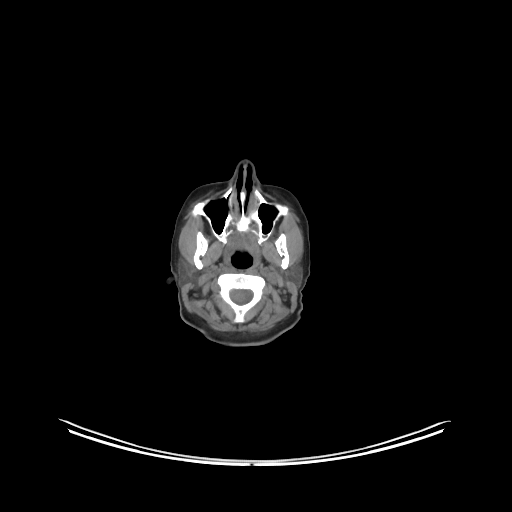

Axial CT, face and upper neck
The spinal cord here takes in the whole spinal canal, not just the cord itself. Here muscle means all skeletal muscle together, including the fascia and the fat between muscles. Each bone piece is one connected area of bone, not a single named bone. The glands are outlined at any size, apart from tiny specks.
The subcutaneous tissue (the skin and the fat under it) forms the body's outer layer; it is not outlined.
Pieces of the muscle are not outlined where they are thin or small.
Outlined structures:
head and neck: 242 158; 254 163; 263 183; 284 187; 299 200; 309 225; 310 274; 302 290; 301 318; 292 328; 265 344; 223 346; 208 340; 181 319; 176 284; 173 281; 166 285; 165 281; 171 273; 170 244; 174 224; 185 198; 199 185; 228 179, around holes outlined by 220 199; 223 199; 225 200; 227 211; 226 212; 226 215; 224 218; 224 221; 223 222; 222 228; 219 232; 217 232; 214 228; 212 219; 206 212; 205 208; 206 206; 207 206; 208 204; 210 203; 210 202; 214 200; 219 200 and by 263 204; 265 204; 268 206; 271 206; 276 210; 276 213; 275 214; 275 215; 273 217; 273 218; 271 221; 271 226; 270 227; 269 230; 266 232; 264 232; 264 231; 263 230; 263 222; 262 221; 262 219; 260 216; 260 207 and by 236 253; 241 253; 242 254; 248 254; 250 256; 250 257; 251 258; 251 263; 249 265; 248 265; 246 267; 239 267; 238 266; 236 266; 235 265; 234 265; 234 264; 232 262; 232 257; 234 255; 234 254; 235 254 and by 248 168; 250 168; 250 176; 251 177; 251 187; 250 188; 250 189; 249 190; 249 191; 248 192; 247 192; 247 191; 246 190; 246 187; 245 186; 245 184; 246 183; 246 179; 247 178; 247 170; 248 169 and by 241 171; 242 172; 242 185; 241 186; 241 187; 240 188; 240 189; 239 190; 238 190; 237 189; 237 180; 238 179; 238 176; 239 175; 239 173
muscle: 228 186; 217 199; 200 200; 190 211; 193 217; 202 216; 223 244; 236 231; 254 234; 260 245; 272 234; 279 219; 288 215; 286 204; 267 199; 257 186; 287 200; 300 219; 301 259; 289 266; 284 232; 274 241; 281 257; 279 265; 286 269; 287 280; 297 287; 295 310; 273 328; 258 334; 215 331; 188 312; 182 299; 181 287; 194 274; 190 262; 179 254; 183 217; 190 203; 205 190, around holes outlined by 228 272; 259 275; 265 280; 265 286; 263 289; 261 298; 260 300; 245 314; 244 316; 245 321; 244 322; 235 323; 233 321; 235 316; 233 310; 219 295; 219 290; 220 289; 219 286; 217 284; 217 278; 220 274; 222 273; 227 273 and by 197 231; 200 231; 203 234; 204 237; 207 240; 208 242; 208 244; 207 245; 207 249; 205 253; 200 257; 200 259; 203 265; 201 269; 198 269; 195 266; 194 264; 194 262; 193 261; 193 255; 194 254; 194 252; 196 248; 196 233 and by 236 253; 241 253; 242 254; 248 254; 250 256; 250 257; 251 258; 251 263; 249 265; 248 265; 246 267; 239 267; 238 266; 236 266; 235 265; 234 265; 234 264; 232 262; 232 257; 234 255; 234 254; 235 254
parotid glands 1: 179 256; 181 256; 183 258; 185 258; 189 262; 190 265; 193 269; 193 274; 192 275; 191 279; 190 279; 189 281; 187 281; 185 283; 183 283; 182 284; 179 282; 178 278; 177 277; 177 268; 176 267; 176 263; 178 260; 178 257
parotid glands 2: 298 259; 300 259; 301 260; 301 264; 303 266; 303 277; 302 278; 302 279; 301 280; 301 282; 299 284; 299 285; 298 286; 296 286; 293 283; 292 283; 291 282; 290 282; 288 280; 288 277; 287 276; 287 269; 296 260; 297 260
spinal cord: 232 289; 242 289; 243 290; 250 290; 252 292; 252 297; 250 299; 250 300; 249 301; 248 301; 247 302; 246 302; 245 303; 244 303; 243 304; 238 304; 237 303; 236 303; 235 302; 234 302; 231 299; 231 298; 230 297; 230 291
bones 1: 229 186; 238 191; 244 186; 247 193; 255 187; 267 200; 288 207; 287 215; 278 219; 271 234; 260 244; 254 233; 236 230; 223 243; 202 215; 191 214; 196 203; 209 198; 211 201; 204 210; 219 233; 228 208; 225 199; 218 199, around a hole outlined by 263 204; 265 204; 268 206; 271 206; 276 210; 276 213; 275 214; 275 215; 273 217; 273 218; 271 221; 271 226; 270 227; 269 230; 266 232; 264 232; 264 231; 263 230; 263 222; 262 221; 262 219; 260 216; 260 207
bones 2: 228 272; 259 275; 265 280; 265 286; 263 289; 261 298; 260 300; 245 314; 244 316; 245 321; 244 322; 235 323; 233 321; 235 316; 233 310; 219 295; 219 290; 220 289; 219 286; 217 284; 217 278; 220 274; 222 273; 227 273; inner edge: 232 289; 242 289; 243 290; 250 290; 252 292; 252 297; 250 299; 250 300; 249 301; 248 301; 247 302; 246 302; 245 303; 244 303; 243 304; 238 304; 237 303; 236 303; 235 302; 234 302; 231 299; 231 298; 230 297; 230 291
bones 3: 197 231; 200 231; 203 234; 204 237; 207 240; 208 242; 208 244; 207 245; 207 249; 205 253; 200 257; 200 259; 203 265; 201 269; 198 269; 195 266; 194 264; 194 262; 193 261; 193 255; 194 254; 194 252; 196 248; 196 233
bones 4: 281 233; 284 233; 286 236; 286 246; 287 247; 287 250; 288 251; 288 254; 289 255; 289 264; 287 268; 285 269; 283 269; 280 265; 281 264; 281 260; 282 259; 282 257; 278 253; 276 246; 275 245; 275 241; 278 236